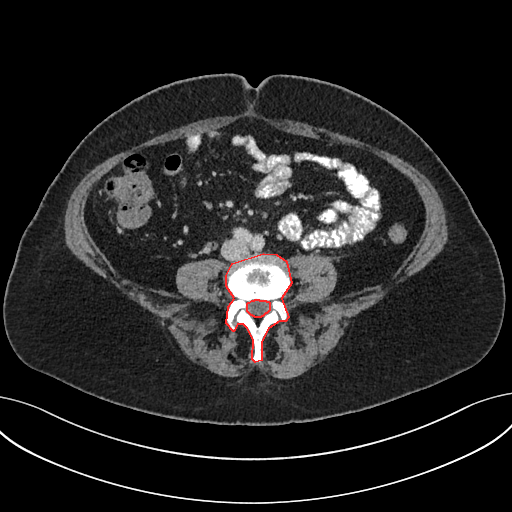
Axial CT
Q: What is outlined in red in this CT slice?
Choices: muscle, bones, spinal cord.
A: red: bones.
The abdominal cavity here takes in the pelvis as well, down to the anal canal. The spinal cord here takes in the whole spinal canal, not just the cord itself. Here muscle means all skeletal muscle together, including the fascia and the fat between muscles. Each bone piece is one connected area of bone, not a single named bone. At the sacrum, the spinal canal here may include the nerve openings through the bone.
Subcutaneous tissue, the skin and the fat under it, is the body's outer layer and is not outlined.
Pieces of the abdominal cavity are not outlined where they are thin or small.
The bones are outlined by (263, 253) (276, 254) (286, 261) (291, 283) (281, 298) (288, 317) (285, 321) (279, 321) (268, 328) (261, 341) (261, 360) (255, 362) (252, 359) (253, 339) (247, 328) (243, 324) (237, 324) (233, 331) (226, 323) (228, 306) (234, 298) (226, 286) (226, 275) (232, 263), around a hole outlined by (255, 299) (258, 299) (259, 300) (265, 300) (266, 301) (268, 301) (269, 302) (269, 310) (266, 313) (265, 313) (262, 316) (261, 316) (260, 317) (255, 317) (254, 316) (253, 316) (252, 315) (251, 315) (247, 311) (247, 303) (248, 302) (249, 302) (252, 300) (254, 300). The abdominal cavity appears in 2 outlined pieces: piece 1: (247, 119) (374, 154) (411, 181) (423, 203) (424, 227) (386, 280) (332, 296) (338, 272) (329, 257) (297, 253) (287, 262) (263, 252) (227, 267) (232, 296) (218, 286) (225, 263) (217, 258) (178, 267) (177, 294) (138, 285) (113, 266) (84, 219) (99, 180) (152, 147); piece 2: (290, 267) (290, 268) (292, 269) (298, 276) (298, 287) (297, 288) (297, 290) (296, 292) (294, 293) (289, 298) (282, 298) (288, 291) (292, 283) (292, 278) (290, 274). The spinal cord is outlined by (255, 299) (258, 299) (259, 300) (265, 300) (266, 301) (268, 301) (269, 302) (269, 310) (266, 313) (265, 313) (262, 316) (261, 316) (260, 317) (255, 317) (254, 316) (253, 316) (252, 315) (251, 315) (247, 311) (247, 303) (248, 302) (249, 302) (252, 300) (254, 300). The muscle is outlined by (242, 113) (258, 113) (270, 118) (275, 118) (276, 119) (286, 118) (295, 121) (305, 122) (314, 126) (323, 127) (334, 132) (338, 132) (341, 134) (358, 139) (366, 143) (369, 143) (374, 146) (376, 146) (380, 149) (395, 154) (400, 158) (410, 163) (428, 178) (436, 189) (439, 197) (442, 201) (446, 214) (446, 225) (447, 226) (448, 237) (443, 249) (421, 270) (413, 275) (407, 277) (403, 281) (400, 282) (390, 290) (377, 303) (361, 311) (357, 315) (354, 316) (350, 323) (349, 327) (350, 331) (334, 357) (321, 369) (312, 373) (307, 377) (299, 381) (279, 381) (278, 380) (274, 380) (268, 377) (265, 372) (256, 366) (254, 366) (238, 377) (232, 379) (216, 379) (208, 374) (203, 373) (198, 368) (187, 361) (179, 352) (174, 349) (168, 340) (162, 326) (151, 313) (144, 309) (139, 304) (130, 299) (126, 295) (123, 294) (107, 279) (97, 274) (82, 261) (78, 259) (66, 246) (65, 242) (64, 216) (67, 207) (68, 199) (79, 181) (88, 171) (92, 169) (96, 165) (119, 152) (124, 151) (134, 145) (137, 145) (173, 128) (209, 117) (221, 116) (222, 115) (236, 115), around a hole outlined by (247, 119) (374, 154) (411, 181) (425, 211) (381, 283) (332, 296) (329, 257) (288, 257) (298, 287) (281, 299) (288, 317) (264, 334) (259, 362) (247, 328) (226, 323) (234, 297) (218, 286) (222, 260) (178, 267) (180, 294) (138, 285) (84, 219) (92, 189) (121, 161). The torso is outlined by (217, 73) (241, 75) (253, 86) (273, 74) (343, 86) (393, 113) (432, 148) (488, 232) (503, 274) (503, 321) (479, 362) (432, 386) (356, 412) (279, 425) (225, 425) (118, 405) (20, 360) (4, 329) (6, 282) (20, 238) (68, 156) (100, 121) (132, 99) (176, 80).